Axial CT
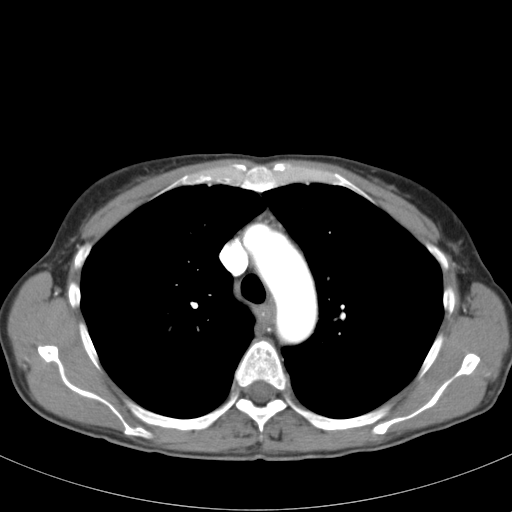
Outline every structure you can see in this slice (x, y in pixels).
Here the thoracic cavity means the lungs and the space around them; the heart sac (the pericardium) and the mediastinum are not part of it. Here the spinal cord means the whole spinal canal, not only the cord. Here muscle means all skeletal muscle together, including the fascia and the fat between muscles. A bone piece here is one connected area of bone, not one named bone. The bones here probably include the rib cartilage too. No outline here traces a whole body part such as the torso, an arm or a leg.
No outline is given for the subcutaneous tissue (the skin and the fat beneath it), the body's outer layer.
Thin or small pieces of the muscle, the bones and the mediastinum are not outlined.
The muscle is outlined by [[227,158],[258,163],[299,159],[335,164],[369,180],[378,179],[430,218],[441,235],[438,244],[456,264],[461,299],[477,281],[492,289],[505,307],[509,346],[499,374],[487,387],[481,403],[462,415],[379,443],[283,453],[254,447],[242,452],[203,452],[145,445],[104,427],[63,418],[37,403],[28,392],[7,333],[8,313],[22,284],[30,276],[48,270],[53,283],[63,290],[76,244],[82,242],[82,223],[143,177]], around holes outlined by [[277,162],[340,174],[421,244],[428,241],[443,252],[448,268],[441,271],[442,285],[453,289],[455,303],[438,328],[443,342],[436,358],[421,378],[414,376],[383,403],[391,408],[372,424],[324,430],[287,407],[260,432],[234,406],[202,429],[142,421],[123,400],[131,398],[103,367],[96,368],[82,343],[78,324],[85,319],[68,298],[69,283],[81,279],[76,252],[86,242],[93,246],[186,174],[233,163],[270,167]] and by [[39,345],[55,345],[58,350],[58,357],[70,382],[79,388],[92,392],[109,402],[130,426],[142,427],[150,432],[152,437],[145,438],[125,434],[122,422],[107,405],[96,399],[79,394],[63,382],[58,365],[54,361],[45,361],[38,353],[37,347]] and by [[470,352],[476,354],[480,359],[476,367],[471,373],[462,374],[456,377],[445,388],[437,401],[432,406],[410,418],[393,423],[383,434],[377,434],[372,432],[373,427],[377,423],[386,421],[395,417],[407,415],[425,404],[438,388],[459,369],[464,356]]. The thoracic cavity is outlined by [[292,183],[351,190],[439,264],[444,313],[416,374],[351,417],[317,413],[296,398],[282,349],[314,333],[316,284],[301,246],[266,203],[217,255],[254,319],[226,399],[188,418],[135,402],[101,364],[80,307],[93,246],[178,187],[223,184],[262,199]]. The mediastinum is outlined by [[266,204],[300,246],[313,277],[317,298],[318,319],[313,333],[300,344],[284,346],[281,349],[283,363],[276,348],[271,342],[263,338],[252,341],[254,337],[255,319],[250,310],[233,295],[232,275],[222,265],[218,257],[224,244],[242,226],[262,212]]. The bones appear in 8 outlined pieces: piece 1: [[262,339],[275,348],[298,404],[335,419],[359,416],[391,404],[389,411],[372,424],[324,430],[287,407],[274,414],[260,432],[253,419],[232,406],[205,428],[181,430],[142,421],[123,400],[128,398],[168,417],[202,416],[227,399],[244,353],[253,341]]; inner edge: [[258,380],[262,380],[263,381],[266,382],[268,384],[271,385],[275,389],[275,393],[274,394],[273,397],[271,399],[270,399],[265,403],[263,403],[262,404],[259,404],[258,403],[255,403],[247,396],[247,387],[253,382],[254,382],[255,381],[257,381]]; piece 2: [[277,162],[288,162],[293,165],[336,172],[369,195],[376,202],[376,205],[347,187],[323,182],[311,182],[308,184],[292,182],[261,192],[223,183],[211,185],[199,183],[178,186],[148,200],[186,174],[233,163],[241,163],[248,167],[260,164],[270,167]]; piece 3: [[39,345],[55,345],[58,350],[58,357],[70,382],[79,388],[92,392],[109,402],[130,426],[142,427],[150,432],[152,437],[145,438],[125,434],[122,422],[107,405],[96,399],[79,394],[63,382],[58,365],[54,361],[45,361],[38,353],[37,347]]; piece 4: [[470,352],[476,354],[480,359],[476,367],[471,373],[462,374],[456,377],[445,388],[437,401],[432,406],[410,418],[393,423],[383,434],[377,434],[372,432],[373,427],[377,423],[386,421],[395,417],[407,415],[425,404],[438,388],[459,369],[464,356]]; piece 5: [[80,321],[84,322],[86,325],[89,336],[95,348],[95,350],[97,353],[100,364],[102,367],[102,371],[100,371],[96,368],[84,348],[84,346],[82,343],[82,341],[80,337],[80,334],[79,333],[79,327],[78,326],[78,324]]; piece 6: [[439,333],[442,333],[443,334],[443,342],[440,348],[440,350],[436,358],[434,360],[432,364],[429,367],[429,368],[422,376],[422,377],[416,380],[415,379],[415,377],[426,355],[428,353],[437,334]]; piece 7: [[425,241],[428,241],[432,244],[437,246],[443,252],[443,253],[446,257],[446,259],[448,263],[448,268],[446,270],[442,270],[440,266],[440,264],[438,262],[438,261],[430,253],[430,252],[426,248],[426,247],[424,245],[424,242]]; piece 8: [[86,242],[92,242],[92,247],[91,248],[91,249],[90,250],[90,251],[89,252],[87,257],[85,259],[81,269],[76,269],[74,267],[74,257],[75,256],[75,254],[76,253],[76,252],[78,250],[78,249],[84,243],[85,243]]. The spinal cord is outlined by [[258,380],[262,380],[263,381],[266,382],[268,384],[271,385],[275,389],[275,393],[274,394],[273,397],[271,399],[270,399],[265,403],[263,403],[262,404],[259,404],[258,403],[255,403],[247,396],[247,387],[253,382],[254,382],[255,381],[257,381]].